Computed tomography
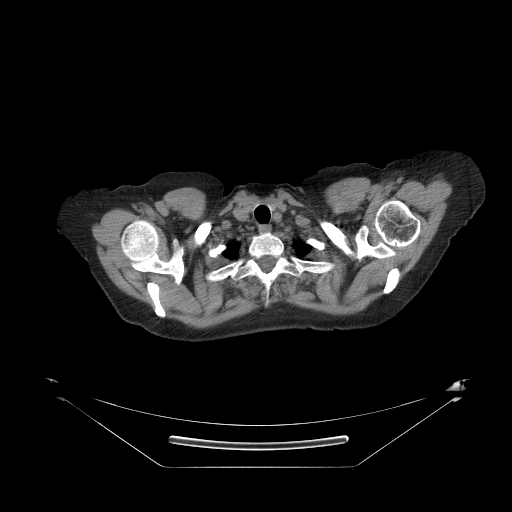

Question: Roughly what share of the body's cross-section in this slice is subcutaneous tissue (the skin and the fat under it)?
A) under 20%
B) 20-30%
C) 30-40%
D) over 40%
Answer: C) 30-40%
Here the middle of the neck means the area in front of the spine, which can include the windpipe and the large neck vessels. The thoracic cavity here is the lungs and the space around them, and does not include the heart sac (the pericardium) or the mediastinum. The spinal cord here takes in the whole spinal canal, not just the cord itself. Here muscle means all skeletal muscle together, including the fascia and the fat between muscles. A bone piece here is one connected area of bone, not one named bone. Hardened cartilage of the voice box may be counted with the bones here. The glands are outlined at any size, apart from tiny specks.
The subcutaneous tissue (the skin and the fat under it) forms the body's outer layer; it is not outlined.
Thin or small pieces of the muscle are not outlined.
spinal cord: [[268,255],[269,256],[272,256],[273,257],[274,257],[276,259],[276,260],[275,261],[275,263],[274,264],[273,267],[269,271],[267,271],[266,272],[265,271],[262,270],[262,269],[258,264],[258,262],[257,261],[257,260],[263,256],[267,256]]
middle of the neck: [[261,201],[269,202],[269,207],[272,211],[275,211],[281,205],[287,208],[289,217],[283,228],[276,229],[272,232],[261,231],[255,233],[253,231],[246,231],[238,223],[234,217],[234,212],[237,208],[244,206],[247,212],[251,212],[256,205],[256,202]]
bones 1: [[390,199],[405,203],[420,221],[417,238],[404,247],[396,248],[393,256],[365,256],[358,260],[346,255],[331,241],[319,223],[327,220],[334,224],[353,249],[356,247],[355,234],[364,224],[369,230],[368,242],[376,245],[381,237],[374,225],[375,214]]
bones 2: [[261,232],[278,236],[287,251],[299,258],[329,261],[335,267],[324,273],[304,271],[300,276],[281,273],[271,285],[268,307],[264,306],[265,287],[256,276],[246,276],[239,280],[228,276],[221,280],[208,281],[205,279],[207,272],[242,256],[251,237]]; inner edge: [[268,255],[269,256],[272,256],[273,257],[274,257],[276,259],[276,260],[275,261],[275,263],[274,264],[273,267],[269,271],[267,271],[266,272],[265,271],[262,270],[262,269],[258,264],[258,262],[257,261],[257,260],[263,256],[267,256]]
bones 3: [[138,219],[147,220],[155,226],[159,236],[157,254],[160,259],[167,261],[171,257],[173,252],[171,244],[175,238],[183,248],[184,274],[178,285],[175,283],[174,277],[170,274],[142,272],[133,268],[130,260],[123,253],[120,244],[122,233],[127,225]]
bones 4: [[149,281],[153,281],[155,282],[159,286],[159,288],[160,289],[160,291],[159,292],[159,298],[160,299],[160,302],[166,313],[166,316],[164,318],[161,318],[159,317],[157,315],[156,315],[156,314],[154,312],[153,303],[147,291],[147,283]]
bones 5: [[394,267],[397,267],[399,269],[401,273],[401,275],[400,276],[399,281],[397,285],[391,292],[390,292],[388,294],[383,294],[382,293],[382,290],[384,287],[384,285],[386,281],[386,277],[387,276],[387,273],[391,268],[393,268]]
bones 6: [[205,220],[210,220],[212,222],[212,224],[211,225],[211,228],[210,229],[210,230],[209,231],[209,233],[207,235],[207,236],[206,237],[204,242],[201,245],[200,245],[199,246],[196,246],[194,244],[194,233],[195,232],[197,227],[203,221],[204,221]]
bones 7: [[221,243],[222,243],[223,244],[225,244],[226,245],[226,248],[223,251],[223,252],[221,254],[220,254],[216,257],[211,257],[210,256],[209,256],[208,255],[208,251],[209,250],[209,249],[210,248],[211,248],[212,247],[214,247],[218,244],[220,244]]
bones 8: [[308,238],[315,238],[316,239],[317,239],[318,240],[319,240],[320,241],[323,242],[325,244],[325,247],[323,249],[322,249],[321,250],[319,250],[318,249],[316,249],[315,248],[312,247],[309,244],[308,244],[305,242],[305,240]]
right arm: [[122,184],[132,187],[141,192],[149,201],[156,215],[159,225],[158,247],[155,253],[145,263],[132,270],[115,274],[90,274],[86,262],[73,249],[70,244],[58,233],[56,229],[55,221],[58,207],[65,197],[84,186],[107,186],[110,188],[115,188]]
thyroid glands 1: [[254,202],[255,202],[255,205],[253,207],[253,208],[252,209],[252,210],[251,211],[247,211],[247,210],[246,209],[246,208],[245,207],[245,206],[247,204],[248,204],[249,203],[253,203]]
thyroid glands 2: [[271,203],[272,203],[273,203],[274,203],[275,203],[276,203],[277,203],[278,204],[279,205],[278,206],[277,207],[276,208],[276,209],[275,210],[274,210],[273,210],[272,210],[271,209],[271,208],[270,207],[270,206],[270,205],[270,204]]
thoracic cavity 1: [[294,238],[298,238],[299,239],[300,239],[301,240],[304,241],[304,242],[306,244],[309,245],[311,247],[311,249],[304,256],[304,258],[303,258],[302,257],[299,257],[298,256],[297,256],[294,253],[294,249],[292,246],[292,242],[293,241],[293,239]]
thoracic cavity 2: [[232,241],[237,241],[240,243],[240,247],[239,248],[239,251],[238,252],[238,257],[235,259],[230,259],[229,258],[228,258],[227,257],[226,257],[223,254],[223,253],[224,252],[224,251],[227,248],[227,244],[229,242],[231,242]]
torso: [[352,162],[380,168],[364,212],[370,236],[401,256],[443,256],[420,292],[380,325],[169,340],[121,319],[91,276],[137,269],[159,247],[160,225],[150,201],[125,184],[142,184],[167,171],[200,170],[219,178],[227,194],[248,182],[297,185],[322,167]]
left arm: [[435,147],[459,149],[473,158],[479,166],[485,181],[485,199],[472,219],[451,239],[450,245],[444,255],[431,259],[420,259],[401,255],[382,247],[371,236],[365,222],[368,198],[372,189],[376,185],[381,168],[388,162],[396,158],[410,157],[419,151]]
muscle: [[438,173],[452,184],[452,192],[431,242],[401,281],[400,269],[391,267],[383,295],[351,315],[285,303],[269,307],[272,285],[281,274],[324,274],[336,267],[329,260],[305,258],[312,248],[326,247],[315,237],[294,237],[293,253],[288,251],[273,233],[290,217],[277,202],[237,207],[233,217],[255,234],[240,256],[237,240],[210,247],[209,257],[222,254],[230,260],[204,274],[208,282],[256,277],[264,287],[264,307],[207,329],[165,318],[161,289],[153,280],[146,283],[153,311],[120,291],[98,259],[91,231],[91,224],[112,208],[155,201],[180,187],[205,192],[209,212],[240,190],[264,196],[277,188],[320,209],[324,188],[346,177],[378,182],[403,176],[426,184]]; inner edges: [[390,199],[405,203],[420,221],[417,238],[404,247],[396,248],[393,256],[365,256],[358,260],[346,255],[331,241],[319,223],[327,220],[334,224],[353,249],[356,247],[355,234],[364,224],[369,230],[368,242],[376,245],[381,237],[374,225],[375,214]], then [[138,219],[147,220],[155,226],[159,236],[157,254],[160,259],[167,261],[171,257],[173,252],[171,244],[175,238],[183,248],[184,274],[178,285],[175,283],[174,277],[170,274],[142,272],[133,268],[130,260],[123,253],[120,244],[122,233],[127,225]], then [[205,220],[210,220],[212,222],[212,224],[211,225],[211,228],[210,229],[210,230],[209,231],[209,233],[207,235],[207,236],[206,237],[204,242],[201,245],[200,245],[199,246],[196,246],[194,244],[194,233],[195,232],[197,227],[203,221],[204,221]]